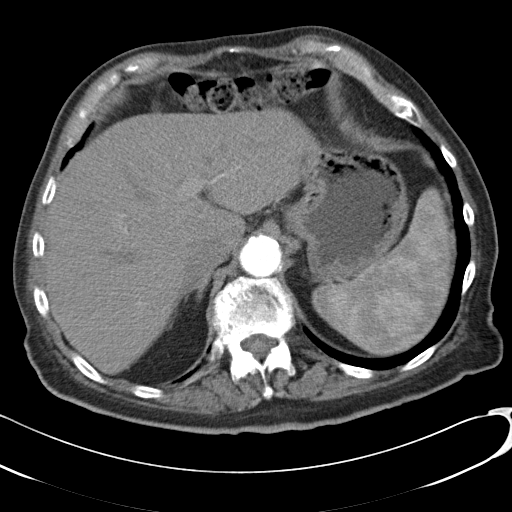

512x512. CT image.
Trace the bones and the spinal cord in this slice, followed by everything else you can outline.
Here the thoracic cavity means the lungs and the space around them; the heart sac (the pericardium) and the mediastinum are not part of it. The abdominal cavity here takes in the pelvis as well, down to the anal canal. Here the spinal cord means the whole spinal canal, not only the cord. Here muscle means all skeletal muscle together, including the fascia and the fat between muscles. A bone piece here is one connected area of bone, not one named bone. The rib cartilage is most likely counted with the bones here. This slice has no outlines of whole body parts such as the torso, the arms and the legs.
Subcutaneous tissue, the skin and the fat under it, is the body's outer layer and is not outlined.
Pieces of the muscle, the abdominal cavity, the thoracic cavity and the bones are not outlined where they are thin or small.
Outlined structures:
bones 1: (240, 276) (277, 279) (292, 299) (295, 325) (285, 338) (295, 372) (289, 375) (277, 367) (266, 374) (273, 390) (269, 399) (262, 395) (265, 384) (258, 372) (248, 373) (234, 383) (226, 349) (206, 373) (183, 385) (197, 370) (209, 367) (216, 336) (212, 323) (214, 298); inner edge: (257, 334) (263, 334) (275, 340) (275, 344) (273, 345) (269, 349) (266, 355) (264, 357) (260, 357) (259, 358) (258, 357) (256, 357) (249, 350) (247, 349) (245, 349) (242, 346) (242, 344) (241, 343) (245, 339) (247, 338) (249, 338) (252, 335) (256, 335)
bones 2: (308, 41) (327, 45) (338, 44) (350, 51) (370, 69) (375, 80) (389, 92) (410, 100) (414, 104) (422, 119) (422, 126) (420, 128) (396, 116) (380, 102) (359, 79) (336, 67) (327, 58) (332, 56) (333, 53) (322, 52) (319, 49) (312, 52) (302, 52) (300, 47)
bones 3: (114, 72) (121, 74) (120, 81) (99, 99) (94, 106) (94, 110) (86, 119) (79, 122) (79, 127) (84, 125) (87, 125) (87, 127) (79, 141) (72, 147) (68, 148) (66, 144) (67, 135) (74, 128) (80, 108) (84, 107) (92, 100) (96, 93) (97, 86) (104, 82)
bones 4: (72, 352) (75, 352) (77, 353) (80, 356) (81, 356) (90, 365) (91, 365) (101, 375) (101, 376) (106, 381) (106, 383) (105, 384) (103, 384) (102, 383) (97, 382) (89, 378) (87, 376) (86, 376) (74, 364) (74, 363) (72, 361) (71, 359) (71, 354)
bones 5: (144, 57) (155, 57) (157, 58) (157, 63) (156, 65) (152, 69) (150, 69) (147, 71) (143, 71) (140, 73) (133, 72) (129, 74) (126, 74) (123, 72) (123, 69) (124, 67) (126, 66) (129, 63) (134, 61) (138, 58) (143, 58)
bones 6: (336, 360) (337, 361) (339, 361) (340, 362) (342, 362) (352, 366) (356, 366) (357, 367) (362, 367) (367, 369) (371, 369) (373, 370) (373, 375) (371, 377) (369, 377) (368, 378) (359, 378) (358, 377) (355, 377) (351, 375) (348, 375) (342, 371) (337, 366) (335, 362)
bones 7: (35, 285) (37, 285) (39, 286) (42, 289) (43, 289) (45, 293) (45, 295) (47, 298) (47, 302) (48, 303) (48, 306) (49, 307) (49, 311) (46, 317) (43, 317) (40, 314) (40, 313) (38, 311) (35, 305) (35, 302) (34, 301) (34, 298) (33, 297) (33, 288)
bones 8: (434, 344) (437, 344) (437, 347) (429, 358) (428, 358) (425, 361) (424, 361) (419, 365) (411, 369) (405, 370) (404, 371) (401, 371) (400, 370) (401, 367) (404, 364) (405, 364) (408, 361) (409, 361) (411, 359) (412, 359) (414, 357) (424, 351) (427, 348) (430, 347)
bones 9: (135, 384) (138, 384) (139, 385) (145, 385) (146, 386) (151, 386) (152, 387) (159, 388) (163, 391) (163, 395) (161, 397) (150, 397) (149, 398) (144, 398) (143, 397) (140, 397) (139, 396) (137, 396) (135, 395) (131, 391) (131, 388) (133, 386) (134, 386)
bones 10: (471, 259) (474, 260) (475, 262) (475, 272) (474, 273) (474, 277) (469, 287) (467, 289) (465, 293) (463, 295) (461, 295) (461, 290) (462, 289) (462, 282) (463, 281) (463, 277) (464, 276) (464, 273) (465, 272) (466, 267) (469, 261)
bones 11: (52, 175) (55, 178) (55, 179) (56, 180) (56, 185) (55, 186) (55, 191) (54, 192) (54, 194) (53, 195) (53, 197) (52, 198) (51, 201) (48, 204) (43, 204) (42, 203) (42, 196) (43, 195) (44, 190) (46, 187) (47, 182) (49, 179) (49, 177)
bones 12: (441, 144) (443, 144) (445, 146) (445, 147) (449, 151) (450, 151) (452, 153) (452, 154) (455, 157) (455, 159) (456, 160) (456, 165) (454, 168) (452, 168) (448, 164) (448, 163) (444, 158) (444, 157) (443, 156) (443, 155) (441, 152) (441, 150) (439, 147)
spinal cord: (257, 334) (263, 334) (275, 340) (275, 344) (273, 345) (269, 349) (266, 355) (264, 357) (260, 357) (259, 358) (258, 357) (256, 357) (249, 350) (247, 349) (245, 349) (242, 346) (242, 344) (241, 343) (245, 339) (247, 338) (249, 338) (252, 335) (256, 335)
mediastinum 1: (338, 69) (359, 80) (371, 92) (373, 96) (396, 117) (413, 125) (412, 129) (420, 140) (420, 142) (416, 142) (408, 139) (394, 139) (373, 132) (370, 130) (364, 124) (364, 122) (360, 119) (350, 106) (345, 94) (345, 83) (342, 77) (342, 74) (338, 71)
mediastinum 2: (254, 235) (269, 235) (279, 243) (280, 246) (280, 275) (282, 280) (284, 282) (284, 285) (277, 278) (274, 277) (256, 278) (255, 277) (248, 277) (244, 275) (240, 275) (238, 277) (227, 282) (224, 286) (221, 286) (224, 278) (236, 266) (243, 248) (247, 242)
muscle 1: (306, 34) (318, 34) (331, 37) (349, 45) (358, 51) (371, 63) (376, 70) (388, 82) (402, 91) (418, 106) (428, 120) (445, 138) (454, 152) (461, 168) (464, 181) (477, 208) (478, 245) (481, 251) (481, 265) (477, 276) (476, 289) (470, 300) (470, 314) (467, 325) (468, 337) (452, 351) (423, 370) (384, 387) (366, 391) (361, 394) (352, 394) (340, 398) (321, 401) (311, 401) (307, 399) (277, 398) (276, 397) (270, 400) (263, 400) (257, 405) (249, 409) (232, 413) (221, 413) (214, 416) (207, 414) (187, 413) (180, 411) (159, 409) (143, 405) (133, 405) (130, 402) (124, 401) (119, 398) (112, 397) (103, 392) (97, 391) (75, 381) (63, 371) (55, 360) (53, 355) (50, 353) (50, 350) (41, 333) (40, 326) (36, 320) (34, 312) (31, 308) (31, 305) (27, 301) (25, 287) (26, 265) (27, 264) (26, 263) (26, 245) (27, 244) (27, 234) (32, 220) (39, 188) (55, 151) (62, 129) (68, 117) (83, 96) (86, 89) (105, 70) (124, 59) (138, 53) (147, 51) (160, 51) (188, 55) (206, 52) (223, 45) (241, 45) (254, 48) (265, 48) (277, 46) (296, 37), around holes outlined by (308, 41) (350, 51) (414, 104) (420, 128) (455, 157) (457, 187) (474, 216) (467, 228) (475, 272) (437, 347) (411, 369) (359, 378) (295, 325) (285, 335) (295, 372) (266, 374) (269, 399) (258, 372) (234, 383) (226, 349) (192, 382) (160, 385) (161, 397) (89, 378) (33, 297) (35, 285) (44, 288) (32, 249) (48, 213) (42, 196) (49, 177) (58, 179) (80, 108) (114, 72) (119, 85) (203, 64) (230, 47) (327, 61) (331, 52) (301, 51) and by (144, 57) (155, 57) (157, 58) (157, 63) (156, 65) (152, 69) (150, 69) (147, 71) (143, 71) (140, 73) (133, 72) (129, 74) (126, 74) (123, 72) (123, 69) (124, 67) (126, 66) (129, 63) (134, 61) (138, 58) (143, 58)
muscle 2: (116, 86) (116, 87) (109, 94) (108, 97) (105, 100) (101, 107) (99, 108) (93, 117) (93, 119) (92, 119) (88, 124) (84, 124) (81, 126) (79, 126) (80, 122) (83, 122) (85, 121) (87, 119) (88, 116) (95, 110) (95, 106) (98, 103) (100, 99) (106, 93)
abdominal cavity: (229, 54) (321, 58) (337, 68) (349, 106) (370, 131) (430, 152) (456, 234) (447, 301) (406, 351) (340, 351) (300, 324) (281, 275) (280, 243) (254, 234) (213, 298) (215, 336) (203, 363) (159, 387) (107, 378) (68, 345) (42, 283) (44, 226) (60, 168) (118, 85)
thoracic cavity 1: (414, 126) (439, 148) (452, 169) (463, 202) (470, 253) (456, 315) (438, 341) (403, 364) (384, 369) (352, 365) (315, 345) (296, 325) (295, 314) (300, 325) (340, 352) (361, 358) (387, 358) (406, 352) (430, 333) (450, 294) (458, 256) (452, 199) (445, 176)
thoracic cavity 2: (89, 125) (91, 125) (92, 126) (91, 127) (91, 129) (87, 135) (82, 140) (82, 145) (81, 147) (73, 153) (71, 157) (69, 158) (67, 163) (64, 167) (61, 169) (62, 160) (64, 158) (65, 155) (71, 148) (72, 148) (81, 140) (83, 134)
thoracic cavity 3: (200, 365) (201, 365) (199, 367) (199, 368) (198, 369) (197, 369) (189, 376) (188, 376) (186, 378) (185, 378) (181, 381) (177, 381) (180, 378) (181, 378) (182, 377) (182, 376) (185, 375) (188, 372) (193, 370) (195, 368) (196, 368)